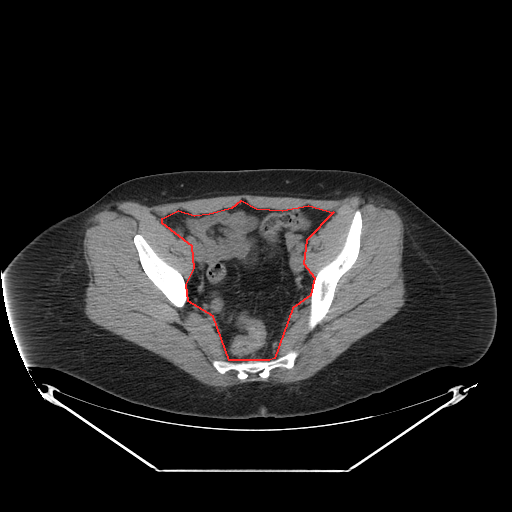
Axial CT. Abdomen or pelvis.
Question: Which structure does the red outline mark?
Answer: red: abdominal cavity.
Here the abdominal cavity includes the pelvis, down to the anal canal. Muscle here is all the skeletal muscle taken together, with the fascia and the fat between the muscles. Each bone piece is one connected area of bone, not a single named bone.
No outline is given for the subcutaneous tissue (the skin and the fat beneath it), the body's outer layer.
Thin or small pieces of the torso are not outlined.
The abdominal cavity is outlined by 241 200; 256 208; 282 210; 308 205; 333 212; 306 240; 303 263; 314 277; 310 295; 292 308; 274 358; 269 360; 229 360; 213 316; 188 301; 186 284; 194 268; 192 246; 162 223; 162 218; 178 210; 194 215; 209 213; 232 207. The bones appear in 3 outlined pieces: piece 1: 356 210; 360 211; 362 219; 362 227; 360 235; 360 248; 357 258; 353 265; 341 276; 337 282; 334 292; 334 296; 326 315; 313 329; 309 329; 308 319; 310 313; 310 299; 315 277; 319 270; 331 262; 341 251; 346 240; 347 234; piece 2: 135 234; 140 234; 145 239; 147 243; 152 248; 155 253; 170 266; 176 269; 183 277; 185 282; 185 286; 186 287; 187 299; 184 305; 182 307; 177 307; 172 304; 166 296; 153 283; 145 273; 140 263; 138 252; 133 241; 133 238; piece 3: 290 350; 296 350; 298 352; 293 367; 275 367; 270 370; 269 375; 266 378; 262 378; 256 373; 250 373; 245 379; 242 380; 237 377; 236 370; 231 369; 224 373; 220 373; 212 363; 214 360; 236 363; 248 360; 269 361; 285 356. The muscle is outlined by 362 193; 385 198; 394 205; 403 222; 401 266; 405 303; 391 318; 306 379; 291 383; 250 381; 210 386; 163 357; 101 328; 85 315; 84 299; 89 278; 83 239; 87 220; 98 208; 111 201; 131 200; 153 206; 240 194; 330 200; inner edge: 241 200; 256 208; 308 205; 333 212; 306 240; 303 263; 313 277; 341 251; 355 211; 362 219; 357 258; 337 282; 323 319; 309 329; 310 295; 289 314; 273 356; 296 350; 293 367; 275 367; 266 378; 250 373; 243 380; 236 370; 220 373; 212 363; 229 360; 213 316; 187 299; 182 307; 172 304; 145 273; 133 241; 140 234; 186 284; 194 268; 192 246; 162 218; 178 210; 209 213. The torso is outlined by 262 168; 341 169; 372 175; 400 191; 459 240; 486 270; 496 298; 494 338; 478 361; 465 367; 438 367; 323 412; 244 419; 183 415; 134 404; 60 371; 26 363; 8 316; 3 273; 12 258; 42 230; 89 206; 131 178; 182 170.